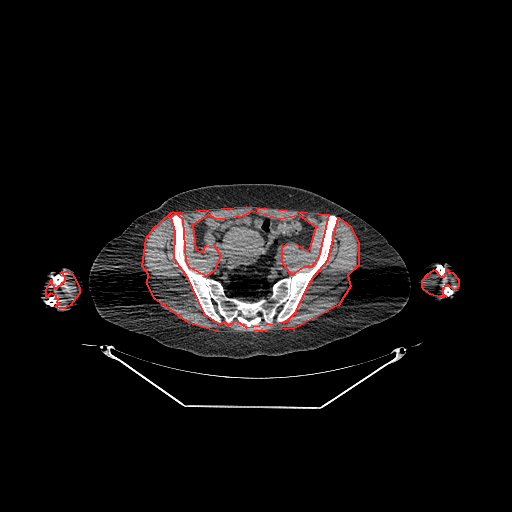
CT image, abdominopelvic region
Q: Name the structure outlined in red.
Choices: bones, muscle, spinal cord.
A: red: muscle.
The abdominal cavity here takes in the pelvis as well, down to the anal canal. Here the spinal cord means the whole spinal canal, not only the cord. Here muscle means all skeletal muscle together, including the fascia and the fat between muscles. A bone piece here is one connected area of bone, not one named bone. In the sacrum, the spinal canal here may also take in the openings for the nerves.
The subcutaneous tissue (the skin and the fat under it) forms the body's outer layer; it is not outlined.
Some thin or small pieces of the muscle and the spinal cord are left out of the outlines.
The muscle appears in 3 outlined pieces: piece 1: (246, 206) (328, 214) (318, 257) (311, 267) (303, 267) (291, 275) (282, 262) (282, 247) (287, 243) (293, 242) (307, 250) (310, 248) (316, 227) (299, 215) (280, 219) (252, 211) (242, 216) (216, 219) (208, 214) (192, 225) (195, 249) (203, 252) (205, 246) (213, 244) (220, 255) (214, 270) (206, 276) (190, 268) (186, 261) (183, 219) (175, 213) (170, 217) (174, 231) (173, 258) (185, 274) (203, 313) (219, 324) (224, 321) (228, 325) (236, 320) (246, 327) (286, 321) (296, 311) (310, 281) (328, 259) (338, 217) (350, 226) (358, 243) (358, 265) (347, 275) (350, 286) (338, 305) (294, 328) (241, 332) (216, 331) (189, 323) (154, 298) (147, 283) (148, 274) (142, 266) (146, 238) (153, 228) (171, 212); piece 2: (65, 271) (71, 273) (74, 277) (79, 288) (79, 293) (70, 305) (64, 308) (59, 308) (55, 306) (58, 303) (57, 302) (58, 299) (56, 298) (56, 296) (50, 293) (46, 297) (46, 290) (51, 279) (51, 283) (55, 288) (62, 283) (65, 280) (65, 277) (61, 272); piece 3: (434, 269) (440, 276) (444, 276) (445, 275) (446, 269) (448, 271) (452, 272) (458, 279) (458, 286) (457, 288) (454, 290) (448, 285) (445, 285) (442, 289) (442, 293) (446, 296) (444, 297) (440, 297) (430, 294) (424, 290) (422, 287) (422, 280) (427, 274). The right arm is outlined by (60, 267) (67, 267) (77, 274) (82, 281) (82, 288) (83, 289) (81, 301) (76, 306) (74, 306) (66, 311) (61, 311) (60, 312) (48, 305) (47, 306) (45, 302) (41, 300) (39, 293) (46, 276) (52, 270) (54, 269) (57, 270). The abdominal cavity is outlined by (252, 212) (280, 220) (299, 216) (315, 227) (308, 249) (293, 241) (281, 247) (281, 262) (288, 275) (276, 280) (266, 295) (243, 299) (228, 295) (223, 284) (210, 277) (221, 255) (213, 243) (205, 245) (203, 251) (196, 249) (193, 225) (208, 215) (216, 220) (225, 220). The torso is outlined by (250, 182) (305, 188) (345, 207) (375, 228) (399, 253) (409, 273) (409, 298) (401, 311) (355, 334) (315, 349) (247, 358) (206, 357) (171, 348) (148, 336) (113, 324) (99, 315) (89, 291) (88, 275) (94, 258) (109, 240) (119, 235) (138, 216) (177, 193) (206, 185). The bones appear in 5 outlined pieces: piece 1: (175, 214) (182, 219) (188, 267) (219, 281) (228, 296) (243, 300) (266, 296) (276, 281) (311, 268) (321, 251) (327, 216) (335, 215) (338, 222) (332, 231) (331, 251) (295, 311) (282, 322) (246, 326) (236, 319) (228, 324) (216, 322) (202, 310) (174, 258) (171, 217); piece 2: (60, 273) (61, 273) (63, 275) (63, 276) (64, 277) (64, 280) (62, 282) (61, 282) (58, 285) (57, 285) (55, 287) (55, 286) (52, 283) (52, 277) (53, 276) (54, 276) (55, 275) (56, 275) (57, 274) (59, 274); piece 3: (51, 295) (53, 295) (54, 296) (55, 296) (55, 298) (56, 299) (57, 299) (56, 300) (56, 302) (57, 303) (56, 303) (55, 304) (55, 305) (54, 305) (53, 306) (49, 306) (48, 305) (47, 305) (45, 302) (45, 301) (47, 299) (47, 298) (49, 296) (50, 296); piece 4: (438, 265) (441, 265) (443, 267) (444, 267) (445, 268) (445, 272) (444, 273) (444, 275) (440, 275) (436, 271) (436, 268) (437, 267) (437, 266); piece 5: (445, 286) (448, 286) (452, 290) (453, 290) (453, 292) (451, 294) (450, 294) (449, 295) (445, 295) (443, 293) (443, 289) (444, 288) (444, 287). The left arm is outlined by (435, 261) (438, 261) (441, 263) (444, 263) (445, 262) (448, 263) (463, 279) (463, 286) (461, 289) (461, 291) (459, 293) (459, 295) (452, 299) (445, 300) (442, 302) (437, 302) (432, 299) (428, 299) (425, 297) (422, 297) (418, 291) (418, 278) (420, 273) (427, 265). The spinal cord is outlined by (259, 312) (260, 313) (261, 314) (260, 315) (259, 315) (258, 314) (258, 313).